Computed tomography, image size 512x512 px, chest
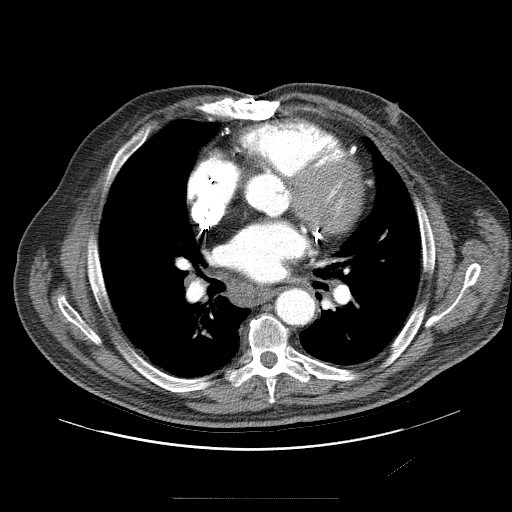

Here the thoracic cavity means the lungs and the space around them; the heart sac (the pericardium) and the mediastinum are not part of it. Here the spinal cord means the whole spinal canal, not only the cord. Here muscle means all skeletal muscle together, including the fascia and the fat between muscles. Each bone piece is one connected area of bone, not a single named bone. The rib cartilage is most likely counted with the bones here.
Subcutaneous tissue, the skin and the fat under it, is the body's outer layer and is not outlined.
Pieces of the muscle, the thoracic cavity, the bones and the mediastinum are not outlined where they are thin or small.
Outlined structures:
muscle 1: 295 91; 345 104; 395 136; 409 164; 433 188; 456 248; 478 235; 471 220; 479 206; 498 220; 509 242; 509 265; 503 287; 487 313; 467 329; 452 330; 451 336; 398 373; 407 377; 385 389; 365 398; 317 405; 277 404; 257 411; 206 413; 186 406; 178 397; 142 393; 121 385; 81 363; 40 320; 28 293; 29 275; 41 245; 48 257; 58 258; 79 199; 111 159; 103 182; 102 195; 107 194; 97 240; 93 232; 87 239; 87 279; 102 314; 113 310; 134 348; 115 340; 116 349; 150 382; 173 393; 203 390; 214 383; 212 379; 218 374; 214 372; 228 366; 223 370; 223 378; 234 387; 255 375; 262 377; 267 401; 273 404; 279 374; 303 383; 312 375; 318 379; 353 381; 361 376; 353 366; 373 359; 389 347; 379 365; 384 369; 410 344; 427 309; 425 301; 414 307; 421 271; 431 276; 436 265; 435 239; 426 209; 416 195; 413 201; 401 176; 375 142; 355 127; 315 106; 301 105; 296 111; 276 113; 281 102; 273 99; inner edges: 60 294; 63 295; 65 297; 66 300; 69 303; 69 304; 76 311; 78 312; 83 320; 99 336; 99 337; 101 339; 101 344; 98 345; 94 343; 89 338; 88 338; 87 336; 75 324; 69 321; 64 316; 57 302; 57 297; 58 295, then 475 262; 478 263; 481 268; 476 281; 472 285; 468 286; 464 290; 458 302; 449 312; 446 313; 429 327; 425 327; 424 325; 427 319; 432 315; 438 314; 445 310; 455 300; 459 294; 459 292; 463 285; 465 273; 468 266; 470 264
muscle 2: 204 94; 226 94; 238 98; 235 99; 231 96; 225 96; 196 104; 194 108; 208 116; 193 114; 174 118; 149 137; 156 127; 157 122; 155 120; 148 121; 120 146; 130 136; 132 127; 141 117; 153 110; 165 107; 179 100
bones 1: 265 312; 289 329; 289 343; 297 351; 328 365; 351 369; 360 374; 359 378; 340 381; 312 374; 303 382; 282 372; 275 377; 273 403; 268 401; 262 376; 255 374; 238 386; 232 385; 224 378; 224 370; 235 365; 248 348; 249 320 with a hole at 264 352; 271 352; 272 353; 273 353; 276 356; 276 361; 275 362; 275 363; 272 366; 270 366; 269 367; 268 367; 267 366; 265 366; 261 362; 261 361; 260 360; 260 356; 261 355; 261 354; 262 353; 263 353
bones 2: 115 341; 117 341; 121 344; 126 343; 150 364; 161 371; 175 377; 179 378; 197 378; 212 373; 217 374; 211 379; 214 381; 213 383; 203 389; 193 390; 192 391; 184 391; 183 392; 173 392; 155 384; 137 371; 119 352; 114 343
bones 3: 225 97; 231 97; 235 100; 239 98; 248 98; 249 99; 251 98; 254 100; 263 99; 279 100; 280 104; 274 115; 265 120; 254 121; 245 119; 220 119; 214 116; 209 116; 201 110; 196 109; 195 106; 199 105; 203 102; 211 102
bones 4: 92 233; 95 235; 97 241; 99 261; 100 262; 101 271; 103 276; 103 280; 112 308; 111 311; 109 311; 106 309; 105 310; 105 314; 103 314; 96 302; 96 300; 94 297; 88 279; 88 272; 87 271; 87 246; 88 245; 88 239
bones 5: 151 121; 155 121; 156 122; 155 127; 151 131; 147 139; 122 165; 119 171; 115 176; 107 193; 103 195; 104 192; 104 182; 106 178; 106 175; 108 169; 111 164; 114 155; 118 149; 123 145; 133 134; 134 134; 146 123
bones 6: 422 302; 425 302; 426 303; 426 309; 423 316; 422 322; 418 328; 417 332; 409 344; 400 354; 400 355; 389 365; 381 369; 380 368; 380 365; 389 354; 389 352; 390 351; 390 345; 391 343; 404 326; 413 309; 418 304
bones 7: 415 196; 420 200; 425 209; 433 234; 434 245; 435 246; 435 265; 434 266; 433 272; 431 275; 427 272; 424 272; 422 270; 422 245; 421 244; 421 236; 420 235; 420 229; 419 228; 418 218; 417 217; 415 206; 413 202
bones 8: 60 294; 63 295; 65 297; 66 300; 69 303; 69 304; 76 311; 78 312; 83 320; 99 336; 99 337; 101 339; 101 344; 98 345; 94 343; 89 338; 88 338; 87 336; 75 324; 69 321; 64 316; 57 302; 57 297; 58 295
bones 9: 475 262; 478 263; 481 268; 476 281; 472 285; 468 286; 464 290; 458 302; 449 312; 446 313; 429 327; 425 327; 424 325; 427 319; 432 315; 438 314; 445 310; 455 300; 459 294; 459 292; 463 285; 465 273; 468 266; 470 264
bones 10: 301 106; 309 106; 310 107; 315 107; 318 109; 320 109; 322 111; 322 112; 324 114; 325 114; 325 115; 324 116; 323 115; 321 115; 320 114; 319 114; 316 112; 311 112; 310 111; 304 111; 303 110; 300 110; 300 109; 299 108
mediastinum 1: 189 216; 209 263; 224 276; 256 286; 287 282; 347 238; 326 263; 313 270; 315 278; 311 285; 319 302; 319 317; 297 339; 290 339; 290 329; 270 312; 261 312; 242 325; 250 309; 234 305; 222 294; 223 283; 206 273; 208 262
mediastinum 2: 297 111; 316 113; 324 117; 333 118; 355 128; 365 135; 362 141; 371 154; 374 174; 375 196; 371 211; 358 225; 370 208; 369 203; 372 199; 372 190; 374 178; 373 177; 372 176; 370 159; 351 139; 315 121; 303 117; 284 117; 269 120; 276 114; 287 114
mediastinum 3: 193 115; 214 117; 216 119; 220 120; 245 120; 253 121; 253 122; 245 124; 242 123; 232 129; 230 129; 226 133; 223 133; 217 136; 201 149; 196 160; 200 146; 213 135; 219 126; 214 121; 200 121; 184 118; 183 117; 185 116
torso: 298 81; 357 87; 397 101; 450 158; 503 202; 511 275; 499 331; 467 358; 393 401; 353 414; 283 425; 215 428; 158 421; 118 407; 63 375; 26 333; 12 280; 22 234; 56 188; 80 142; 123 103; 149 90; 213 84; 257 94
thoracic cavity 1: 177 118; 214 122; 218 126; 199 146; 187 178; 188 222; 207 262; 205 273; 222 283; 221 294; 234 306; 249 309; 241 323; 247 327; 245 350; 230 364; 197 377; 169 374; 138 353; 112 307; 98 245; 103 208; 116 176; 148 138
thoracic cavity 2: 365 136; 374 142; 393 166; 412 200; 420 236; 421 270; 413 308; 389 346; 367 361; 344 368; 300 352; 290 340; 297 340; 299 334; 320 317; 320 302; 312 285; 316 278; 314 270; 327 263; 373 209; 375 174; 372 154; 363 141
spinal cord: 264 352; 271 352; 272 353; 273 353; 276 356; 276 361; 275 362; 275 363; 272 366; 270 366; 269 367; 268 367; 267 366; 265 366; 261 362; 261 361; 260 360; 260 356; 261 355; 261 354; 262 353; 263 353
pericardium: 284 118; 303 118; 351 140; 369 159; 373 178; 371 199; 369 208; 353 231; 315 263; 294 273; 287 281; 256 285; 224 275; 210 263; 202 249; 203 236; 197 237; 195 226; 190 219; 186 202; 187 182; 202 149; 217 137; 242 124